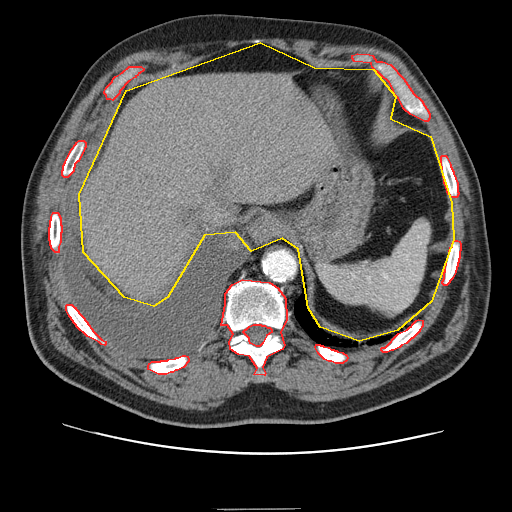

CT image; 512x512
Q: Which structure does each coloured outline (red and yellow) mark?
A: red: bones; yellow: abdominal cavity.
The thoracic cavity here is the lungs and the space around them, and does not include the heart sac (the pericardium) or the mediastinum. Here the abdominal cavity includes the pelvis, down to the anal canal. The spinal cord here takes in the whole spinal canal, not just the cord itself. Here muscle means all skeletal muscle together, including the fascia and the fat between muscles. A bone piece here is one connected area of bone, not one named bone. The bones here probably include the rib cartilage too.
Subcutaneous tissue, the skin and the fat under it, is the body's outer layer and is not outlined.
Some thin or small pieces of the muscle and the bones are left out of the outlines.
{"bones":[{"outer":[[242,279],[269,282],[277,287],[285,298],[286,319],[280,332],[284,345],[282,349],[266,357],[262,367],[265,373],[264,375],[254,374],[257,368],[249,356],[238,354],[230,349],[229,341],[233,334],[227,325],[221,325],[225,304],[225,293],[232,284]],"hole":[[253,324],[260,324],[261,325],[264,325],[267,327],[269,327],[271,329],[271,332],[266,335],[262,343],[259,346],[256,346],[250,343],[249,341],[249,338],[243,332],[243,331],[245,329],[246,329],[249,326]]},[[357,53],[369,54],[372,55],[376,61],[382,61],[390,64],[403,78],[413,93],[421,100],[429,113],[429,118],[427,121],[424,121],[410,114],[404,109],[398,98],[394,94],[393,89],[389,82],[372,67],[371,63],[354,61],[352,58],[352,55]],[[129,66],[140,66],[143,68],[143,70],[139,73],[138,73],[137,75],[135,76],[135,77],[128,81],[119,91],[119,93],[112,100],[110,99],[107,99],[106,95],[104,93],[104,91],[106,87],[112,81],[113,78],[115,76],[122,72]],[[182,355],[185,355],[187,356],[188,358],[188,361],[183,367],[177,370],[175,370],[172,372],[170,372],[166,374],[158,374],[148,369],[148,365],[149,363],[152,361],[160,361],[161,360],[167,360],[168,359],[175,358],[176,357],[178,357]],[[418,319],[422,320],[422,326],[419,330],[419,331],[412,338],[411,338],[406,343],[401,345],[399,347],[393,350],[391,350],[387,352],[383,352],[381,350],[381,348],[382,347],[385,347],[398,333],[407,329],[410,326],[411,326],[412,324],[416,320]],[[67,304],[71,304],[74,307],[75,307],[75,308],[87,322],[87,323],[92,329],[92,330],[101,339],[105,341],[105,344],[104,345],[101,344],[99,342],[87,336],[76,326],[76,325],[73,322],[73,321],[69,316],[66,310],[66,305]],[[454,240],[457,240],[459,241],[460,243],[459,258],[458,259],[458,262],[457,263],[457,266],[456,267],[455,272],[452,278],[446,285],[444,285],[442,283],[442,281],[444,278],[444,272],[445,271],[446,261],[448,257],[450,247],[452,246],[452,243]],[[442,155],[445,155],[446,156],[450,164],[450,166],[453,171],[453,173],[457,183],[457,191],[458,192],[458,194],[456,197],[452,197],[450,196],[450,195],[448,194],[447,192],[446,186],[444,183],[444,178],[443,177],[442,167],[441,166],[441,156]],[[79,140],[83,140],[85,142],[85,147],[84,148],[78,161],[77,161],[74,164],[74,167],[73,168],[73,171],[67,177],[64,177],[62,175],[62,170],[63,169],[63,165],[64,164],[64,163],[65,162],[71,149],[76,143],[76,142]],[[53,212],[57,212],[60,217],[60,224],[61,225],[61,232],[60,233],[60,242],[58,246],[58,252],[55,252],[51,248],[51,246],[50,245],[50,241],[49,240],[49,227],[50,226],[50,220],[51,219],[51,216]],[[316,344],[319,344],[320,345],[322,345],[323,346],[328,347],[331,349],[333,349],[334,350],[336,350],[337,351],[342,352],[346,355],[347,358],[346,360],[342,363],[335,363],[331,361],[328,361],[324,359],[318,353],[315,347]]],"abdominal_cavity":[[[260,42],[314,67],[373,69],[395,96],[390,118],[430,136],[451,202],[453,239],[431,301],[397,330],[359,341],[320,327],[308,308],[298,249],[282,238],[251,251],[235,232],[204,235],[167,297],[153,306],[124,297],[83,252],[79,194],[126,90]]],"mediastinum":[[[272,238],[282,239],[292,243],[297,249],[299,260],[301,261],[301,265],[305,271],[305,281],[301,285],[300,293],[293,302],[289,317],[287,317],[285,295],[277,286],[269,281],[242,278],[232,283],[225,290],[227,280],[236,268],[249,258],[251,252]],[[395,98],[397,98],[401,106],[406,112],[407,112],[410,115],[418,118],[420,120],[423,121],[426,124],[429,130],[429,133],[425,132],[420,128],[414,127],[411,125],[401,125],[400,124],[398,124],[396,123],[391,118],[390,116],[390,108]]],"spinal_cord":[[[253,324],[260,324],[261,325],[264,325],[267,327],[269,327],[271,329],[271,332],[266,335],[262,343],[259,346],[256,346],[250,343],[249,341],[249,338],[243,332],[243,331],[245,329],[246,329],[249,326]]],"torso":[[[206,13],[360,26],[395,41],[419,66],[476,170],[491,259],[485,325],[475,349],[453,375],[415,396],[331,423],[254,423],[195,429],[144,419],[112,405],[63,381],[40,360],[26,324],[20,252],[22,205],[32,167],[82,76],[103,52],[142,29]]],"muscle":[{"outer":[[250,38],[308,39],[338,45],[341,44],[345,45],[348,44],[365,44],[370,46],[374,46],[390,52],[398,56],[405,63],[429,95],[445,121],[452,134],[453,139],[457,147],[462,166],[468,179],[470,180],[470,190],[472,197],[472,215],[473,216],[472,222],[474,231],[473,232],[473,247],[469,268],[469,284],[468,285],[469,316],[464,331],[461,334],[460,338],[449,350],[430,359],[409,372],[407,372],[383,385],[366,392],[331,401],[310,402],[292,397],[287,393],[272,386],[270,383],[265,382],[264,383],[250,383],[241,392],[236,394],[231,399],[227,399],[223,403],[214,408],[207,410],[183,409],[159,403],[132,393],[96,371],[67,357],[57,350],[50,342],[46,327],[44,288],[42,282],[40,280],[40,275],[33,258],[32,237],[33,236],[33,219],[36,210],[36,197],[38,193],[39,182],[45,166],[50,157],[50,154],[55,146],[67,120],[70,117],[72,111],[99,78],[106,72],[109,71],[122,58],[137,51],[153,49],[158,47],[168,48],[189,43],[208,42],[217,40],[241,40]],"holes":[[[255,39],[292,52],[314,67],[372,69],[371,63],[353,60],[353,54],[361,53],[399,73],[428,111],[424,122],[430,138],[439,159],[446,156],[457,183],[457,196],[449,197],[453,239],[460,243],[457,266],[446,285],[439,282],[417,318],[422,320],[419,331],[393,350],[381,350],[386,341],[347,351],[342,363],[328,361],[290,315],[280,332],[283,348],[266,357],[264,375],[254,374],[252,359],[230,349],[233,334],[221,325],[220,317],[205,340],[185,354],[188,361],[183,367],[158,374],[148,369],[149,359],[87,336],[66,310],[67,304],[74,304],[62,246],[55,252],[49,240],[52,213],[61,216],[74,173],[64,177],[63,165],[77,141],[87,144],[126,90]],[[129,66],[140,66],[143,68],[143,70],[139,73],[138,73],[137,75],[135,76],[135,77],[128,81],[119,91],[119,93],[112,100],[110,99],[107,99],[106,95],[104,93],[104,91],[106,87],[112,81],[113,78],[115,76],[122,72]]]}],"thoracic_cavity":[[[108,115],[76,202],[80,247],[105,283],[130,302],[153,307],[168,297],[185,257],[204,236],[229,231],[244,238],[250,250],[226,280],[221,317],[209,335],[198,347],[175,357],[151,361],[104,339],[74,306],[66,283],[60,244],[64,197],[75,164]],[[304,283],[306,285],[307,308],[311,317],[320,328],[339,338],[363,342],[372,338],[387,335],[405,327],[411,321],[413,322],[407,328],[398,332],[389,341],[363,349],[343,352],[316,343],[301,327],[298,326],[290,315],[294,302],[301,293],[302,285]]]}